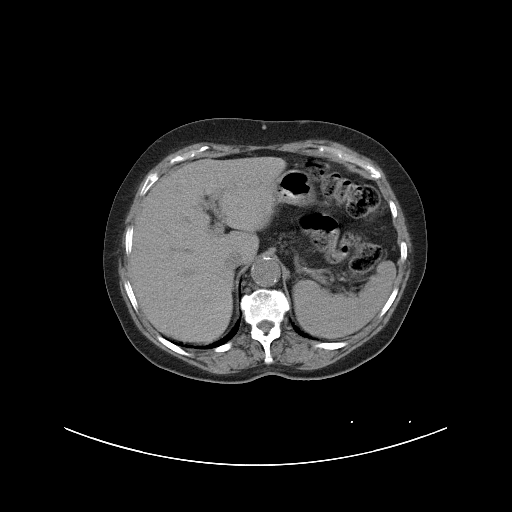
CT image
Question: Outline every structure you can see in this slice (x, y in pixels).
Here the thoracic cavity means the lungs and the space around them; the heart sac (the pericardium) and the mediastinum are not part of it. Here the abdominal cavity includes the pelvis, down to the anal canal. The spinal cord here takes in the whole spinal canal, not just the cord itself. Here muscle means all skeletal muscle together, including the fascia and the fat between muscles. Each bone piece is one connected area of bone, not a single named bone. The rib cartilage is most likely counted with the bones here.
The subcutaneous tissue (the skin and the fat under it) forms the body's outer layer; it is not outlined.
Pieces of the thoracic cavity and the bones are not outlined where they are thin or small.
Answer: {"abdominal_cavity":[[[255,150],[327,154],[352,163],[368,172],[388,204],[399,244],[393,288],[372,321],[346,339],[318,341],[292,321],[282,264],[269,256],[245,267],[238,284],[239,316],[227,334],[210,343],[165,337],[138,305],[130,281],[130,253],[146,193],[178,162]]],"muscle":[[[307,139],[335,141],[373,160],[382,169],[399,202],[412,244],[411,269],[401,298],[386,325],[363,344],[326,366],[304,370],[272,363],[270,345],[281,336],[281,323],[286,314],[293,330],[315,341],[315,348],[335,350],[346,346],[348,342],[344,340],[386,313],[399,290],[394,286],[399,261],[403,263],[408,256],[407,244],[404,240],[399,243],[393,221],[398,211],[391,199],[386,201],[376,181],[382,175],[380,171],[369,162],[338,147],[320,144],[316,147],[321,153],[255,149],[220,156],[196,156],[210,148],[204,144],[171,157],[168,161],[171,165],[160,175],[154,171],[145,177],[138,192],[143,199],[135,221],[126,228],[124,234],[124,251],[129,255],[129,280],[123,282],[123,287],[133,309],[137,312],[139,308],[158,333],[156,338],[174,352],[192,357],[193,354],[186,350],[212,349],[217,353],[229,350],[243,317],[250,327],[250,337],[263,348],[265,364],[232,374],[216,374],[158,347],[134,323],[119,288],[118,258],[124,221],[140,182],[168,154],[194,143],[208,141],[268,145]]],"bones":[{"outer":[[260,288],[281,290],[285,294],[289,303],[289,309],[280,323],[280,336],[275,338],[269,345],[270,355],[273,360],[269,364],[266,364],[264,362],[265,351],[262,344],[258,340],[251,337],[251,327],[245,322],[240,306],[241,298],[243,295],[249,294]],"hole":[[263,320],[266,320],[267,321],[270,321],[272,323],[272,326],[269,329],[269,330],[267,332],[264,332],[260,328],[259,328],[258,327],[258,324],[261,321],[262,321]]},[[320,145],[338,148],[346,153],[353,155],[369,163],[379,171],[381,175],[380,177],[377,179],[374,179],[370,177],[370,174],[368,171],[358,165],[349,161],[344,161],[341,159],[338,159],[327,153],[320,152],[317,147]],[[204,145],[208,146],[209,148],[202,152],[198,153],[194,157],[190,158],[189,159],[185,159],[181,161],[178,161],[173,164],[170,164],[169,163],[170,159],[174,157],[176,155],[182,154],[184,152],[186,152],[190,150],[198,149],[200,147]],[[158,334],[161,335],[166,339],[169,340],[171,342],[179,346],[187,352],[192,354],[192,356],[187,356],[186,355],[184,355],[183,354],[178,353],[174,351],[172,349],[169,348],[167,346],[163,344],[157,338],[157,335]],[[154,172],[157,172],[158,173],[158,178],[157,179],[157,180],[149,188],[149,189],[145,193],[145,194],[144,195],[140,195],[139,194],[139,192],[140,191],[140,190],[144,183],[144,181],[145,180],[146,177],[149,174],[150,174],[151,173],[153,173]],[[316,341],[317,341],[318,342],[339,342],[340,341],[346,341],[347,342],[347,344],[346,345],[345,345],[342,347],[340,347],[339,348],[336,348],[335,349],[325,349],[324,348],[322,348],[321,347],[315,347],[314,346],[314,342],[315,342]],[[127,280],[128,280],[131,284],[131,287],[133,290],[133,293],[134,294],[134,295],[135,296],[135,298],[137,301],[137,305],[138,306],[138,310],[137,311],[136,311],[134,309],[134,308],[130,301],[130,299],[126,292],[126,290],[124,287],[124,282]],[[131,225],[133,225],[133,234],[132,235],[132,239],[131,240],[131,251],[129,253],[129,254],[127,254],[126,253],[126,252],[125,251],[125,234],[126,233],[126,230],[127,229],[127,228],[129,226],[130,226]],[[394,287],[397,287],[398,288],[398,290],[395,296],[395,298],[393,300],[392,303],[387,309],[385,313],[381,317],[379,317],[378,316],[378,314],[380,312],[384,304],[388,299]],[[401,241],[404,241],[405,242],[405,243],[406,244],[406,246],[407,247],[407,256],[406,257],[406,258],[405,259],[405,260],[403,262],[401,262],[400,261],[400,242]],[[229,341],[230,341],[232,344],[231,345],[231,347],[229,349],[228,349],[225,351],[222,351],[221,352],[217,352],[216,351],[214,351],[214,350],[213,349],[214,348],[215,348],[220,345],[222,345],[223,344],[224,344]]],"mediastinum":[[[264,257],[269,257],[273,259],[276,259],[280,262],[283,271],[283,291],[281,289],[277,289],[276,288],[265,288],[264,287],[260,287],[253,290],[249,293],[242,294],[241,288],[240,287],[241,286],[242,274],[244,272],[244,270],[246,267],[254,260]]],"spinal_cord":[[[263,320],[266,320],[267,321],[270,321],[272,323],[272,326],[269,329],[269,330],[267,332],[264,332],[260,328],[259,328],[258,327],[258,324],[261,321],[262,321]]],"torso":[[[222,117],[321,120],[357,129],[386,147],[413,181],[425,215],[425,271],[394,338],[377,355],[354,369],[323,379],[296,380],[266,375],[244,383],[213,383],[154,365],[125,335],[106,290],[102,261],[104,233],[115,194],[135,161],[158,137],[188,122]]],"thoracic_cavity":[[[241,275],[240,286],[239,287],[240,288],[242,295],[240,298],[239,302],[239,306],[240,307],[242,313],[242,317],[237,332],[230,340],[209,349],[184,349],[170,340],[180,342],[183,344],[189,344],[193,346],[201,346],[215,342],[227,335],[234,327],[240,316],[239,310],[239,284]],[[288,317],[290,318],[291,321],[296,326],[297,326],[297,327],[299,328],[300,330],[301,330],[306,334],[311,336],[313,338],[315,339],[318,339],[316,340],[314,340],[313,339],[310,339],[307,337],[304,337],[300,335],[294,330],[291,324],[290,319]]]}